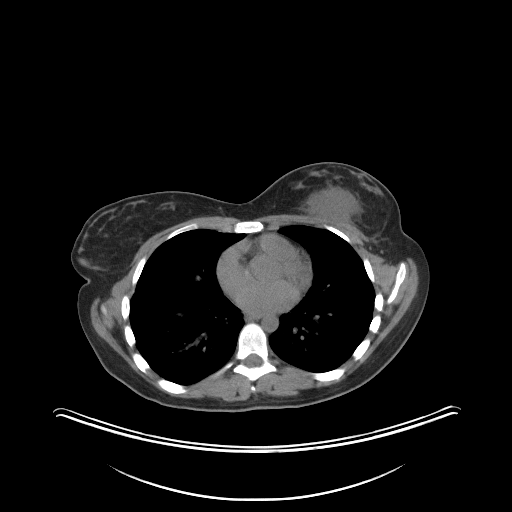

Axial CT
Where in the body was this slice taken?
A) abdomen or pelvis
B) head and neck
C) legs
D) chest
Answer: D) chest
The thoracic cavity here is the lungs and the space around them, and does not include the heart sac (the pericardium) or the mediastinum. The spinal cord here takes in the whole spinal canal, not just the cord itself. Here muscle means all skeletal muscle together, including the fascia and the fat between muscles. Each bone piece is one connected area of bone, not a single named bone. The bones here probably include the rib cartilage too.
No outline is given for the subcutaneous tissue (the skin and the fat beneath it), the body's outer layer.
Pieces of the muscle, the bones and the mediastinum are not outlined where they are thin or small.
{"thoracic_cavity":[[[201,228],[244,234],[243,238],[219,254],[215,266],[215,275],[218,284],[223,294],[239,309],[244,324],[238,333],[236,348],[231,358],[213,373],[185,385],[161,377],[151,368],[139,352],[129,319],[130,299],[144,266],[153,252],[162,243],[174,236]],[[288,225],[322,228],[347,242],[361,259],[375,294],[372,317],[364,338],[351,356],[340,366],[329,370],[308,371],[292,365],[279,358],[268,342],[270,335],[279,327],[281,315],[288,313],[299,303],[313,279],[312,260],[307,250],[299,242],[278,230]]],"spinal_cord":[[[251,354],[255,354],[256,355],[257,355],[261,359],[261,364],[260,364],[259,365],[258,365],[257,366],[247,366],[244,363],[244,360],[249,355],[250,355]]],"pericardium":[[[265,232],[279,233],[301,246],[308,253],[310,257],[312,268],[312,279],[311,283],[303,297],[296,305],[287,311],[276,314],[253,314],[244,311],[236,305],[224,293],[217,279],[216,266],[218,259],[224,250],[237,242],[239,242],[247,236]]],"bones":[{"outer":[[248,323],[255,323],[259,325],[265,333],[269,348],[279,361],[276,366],[278,369],[277,371],[272,371],[263,374],[253,382],[244,375],[234,372],[230,368],[217,376],[213,376],[212,375],[215,372],[225,365],[232,358],[237,348],[239,333],[242,327]],"hole":[[251,354],[255,354],[256,355],[257,355],[261,359],[261,364],[260,364],[259,365],[258,365],[257,366],[247,366],[244,363],[244,360],[249,355],[250,355]]},[[244,220],[260,221],[264,225],[264,228],[263,230],[259,232],[253,233],[227,232],[226,231],[220,231],[216,228],[201,227],[178,233],[165,240],[165,237],[168,234],[174,230],[192,222],[220,222],[225,221],[228,222],[231,225],[233,225],[239,221]],[[341,366],[345,368],[345,371],[343,375],[339,379],[337,380],[331,380],[330,381],[319,381],[318,380],[316,380],[314,379],[309,374],[308,374],[308,372],[325,372],[326,371],[329,371],[330,370],[335,369]],[[378,292],[380,292],[382,294],[382,296],[384,299],[384,302],[383,303],[382,309],[379,313],[381,318],[379,327],[377,331],[375,333],[373,333],[369,331],[369,326],[373,316],[377,313],[377,311],[374,308],[374,301],[375,300],[375,295],[376,293]],[[160,378],[163,378],[166,380],[168,380],[169,381],[171,381],[172,382],[174,382],[178,384],[181,384],[182,385],[184,385],[186,386],[187,391],[183,393],[178,393],[177,394],[172,394],[171,393],[169,393],[163,390],[157,385],[156,382],[157,380]],[[401,262],[403,262],[406,266],[406,274],[405,275],[405,277],[403,281],[400,284],[398,288],[397,294],[393,301],[390,303],[387,303],[386,301],[387,300],[387,298],[389,296],[392,290],[392,288],[395,283],[396,274],[398,271],[398,269]],[[134,352],[138,352],[145,359],[145,360],[148,363],[148,364],[150,366],[150,368],[151,369],[147,373],[145,373],[144,372],[143,372],[142,371],[141,371],[137,367],[137,366],[136,365],[136,364],[134,362],[134,361],[132,358],[132,354]],[[366,337],[367,337],[370,339],[370,343],[369,344],[369,345],[368,346],[368,347],[367,348],[367,349],[365,351],[365,352],[363,354],[363,355],[359,359],[358,359],[357,360],[354,360],[352,357],[352,353],[354,351],[354,350],[356,348],[356,347]],[[143,256],[145,256],[147,258],[147,259],[143,266],[143,268],[141,271],[141,273],[134,287],[132,285],[132,277],[133,276],[133,274],[134,273],[134,271],[135,270],[135,268],[136,267],[136,265],[138,261]],[[124,295],[127,295],[129,297],[129,316],[128,317],[128,319],[127,319],[126,320],[124,320],[123,319],[123,317],[122,316],[122,314],[121,313],[121,301],[122,300],[122,297]],[[126,324],[129,324],[130,325],[130,327],[131,328],[131,329],[133,332],[133,334],[134,335],[134,337],[135,338],[135,345],[132,347],[131,347],[127,343],[127,342],[125,339],[125,336],[124,335],[124,327]],[[326,224],[327,225],[330,225],[331,226],[333,226],[340,231],[341,231],[343,233],[344,233],[350,239],[351,241],[351,243],[350,244],[347,241],[346,241],[343,238],[342,238],[337,234],[334,233],[332,231],[330,231],[324,228],[324,225]],[[364,257],[366,257],[368,259],[371,265],[371,267],[372,268],[372,271],[373,272],[373,275],[374,276],[374,282],[372,283],[372,282],[370,280],[366,272],[366,270],[365,269],[365,267],[364,266],[364,264],[362,260],[362,259]]],"muscle":[{"outer":[[274,214],[301,214],[330,222],[349,222],[362,232],[367,239],[364,246],[372,253],[393,264],[410,257],[417,266],[417,291],[408,309],[366,361],[345,379],[328,386],[304,389],[290,396],[257,393],[237,401],[176,397],[145,381],[94,330],[90,318],[92,301],[97,296],[109,293],[112,286],[127,274],[135,254],[151,236],[194,217],[235,217],[242,220],[233,224],[225,220],[184,224],[168,233],[148,258],[143,255],[137,261],[131,277],[134,291],[130,298],[124,294],[120,301],[122,319],[129,320],[123,327],[124,339],[138,351],[131,354],[136,367],[145,374],[153,370],[160,377],[156,385],[172,395],[186,393],[188,385],[209,375],[217,377],[230,369],[253,383],[263,375],[277,372],[280,362],[278,358],[307,371],[316,381],[339,380],[346,371],[341,365],[350,357],[357,361],[364,355],[371,343],[367,333],[375,334],[382,321],[380,313],[385,299],[380,291],[375,293],[372,265],[366,256],[360,257],[351,245],[351,239],[333,225],[326,223],[323,228],[288,224],[264,229],[265,225],[254,219]],"hole":[[401,262],[403,262],[406,266],[406,274],[405,275],[405,277],[403,281],[400,284],[398,288],[397,294],[393,301],[390,303],[387,303],[386,301],[387,300],[387,298],[389,296],[392,290],[392,288],[395,283],[396,274],[398,271],[398,269]]}],"torso":[[[330,161],[363,169],[390,190],[403,230],[421,246],[429,265],[422,314],[402,348],[377,375],[345,394],[307,406],[214,412],[158,404],[103,368],[78,319],[77,294],[85,280],[70,260],[75,238],[95,210],[124,197],[164,190],[246,202],[294,168]]],"mediastinum":[[[239,308],[240,308],[244,312],[246,313],[249,313],[253,315],[276,315],[277,314],[281,314],[279,317],[279,324],[278,325],[278,327],[269,335],[268,338],[266,333],[259,324],[255,322],[248,322],[247,323],[245,323],[244,322],[243,315]]]}